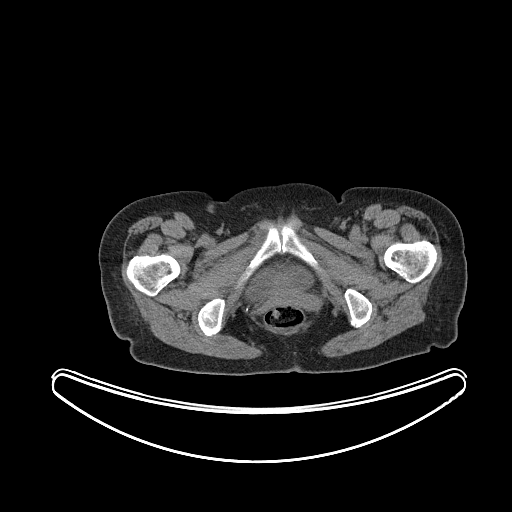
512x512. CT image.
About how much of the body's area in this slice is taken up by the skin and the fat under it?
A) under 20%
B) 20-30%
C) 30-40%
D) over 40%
D) over 40%
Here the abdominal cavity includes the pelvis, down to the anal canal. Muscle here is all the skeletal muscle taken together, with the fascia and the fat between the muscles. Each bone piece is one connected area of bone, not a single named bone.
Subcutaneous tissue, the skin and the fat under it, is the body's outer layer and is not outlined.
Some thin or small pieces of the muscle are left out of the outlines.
The bones appear in 5 outlined pieces: piece 1: 289,221 291,222 292,226 300,240 311,252 312,255 317,261 321,270 316,271 303,260 290,253 276,253 265,260 241,285 238,286 237,285 237,280 249,264 250,260 265,239 269,226 272,224 279,229 283,224; piece 2: 419,240 427,240 432,243 435,247 437,253 437,258 433,266 433,268 428,275 418,282 411,283 408,282 402,277 398,275 394,271 387,267 384,262 383,255 386,249 393,243 396,242 410,243; piece 3: 164,253 172,256 178,262 180,266 180,272 176,278 172,280 167,285 161,289 156,295 154,296 146,295 136,289 128,279 126,274 126,268 128,262 129,260 135,255 144,255 147,254 153,256 154,255 158,255; piece 4: 214,298 222,298 225,300 225,306 224,307 224,311 223,312 223,316 222,317 222,327 217,333 213,335 208,336 207,335 205,335 200,328 198,324 198,321 197,320 197,315 198,314 198,312 200,308 206,302; piece 5: 347,288 353,288 363,294 370,301 372,305 372,311 371,312 371,314 370,315 369,319 360,327 353,327 350,325 350,322 349,321 350,320 349,310 348,309 348,307 347,306 347,304 344,297 344,292. The torso is outlined by 287,182 315,184 337,197 355,186 409,188 444,203 462,229 467,261 456,340 349,372 214,375 136,361 129,343 112,329 101,290 98,248 109,220 128,203 150,195 200,190 224,201 246,188. The muscle is outlined by 382,202 407,205 429,216 438,233 443,263 428,291 423,308 425,320 368,349 335,357 317,352 346,327 345,315 340,311 334,316 334,306 327,301 306,331 294,336 266,332 239,307 223,331 262,346 265,351 258,357 226,359 187,352 153,335 121,277 128,228 149,215 183,212 218,242 246,231 260,220 291,215 346,237 355,224 361,224 368,205 with holes at 289,221 291,222 300,240 311,252 321,269 315,273 321,285 322,297 310,318 300,328 294,331 279,331 264,326 250,313 241,296 246,282 245,281 238,286 237,280 265,239 269,226 272,224 279,229 283,224 and at 419,240 427,240 432,243 435,247 437,253 437,258 433,266 433,268 428,275 418,282 411,283 408,282 402,277 398,275 394,271 387,267 384,262 383,255 386,249 393,243 396,242 410,243 and at 164,253 172,256 178,262 180,266 180,272 176,278 172,280 167,285 161,289 156,295 154,296 146,295 136,289 128,279 126,274 126,268 128,262 129,260 135,255 144,255 147,254 153,256 154,255 158,255 and at 214,298 222,298 225,300 225,306 224,307 224,311 223,312 223,316 222,317 222,327 217,333 213,335 208,336 207,335 205,335 200,328 198,324 198,321 197,320 197,315 198,314 198,312 200,308 206,302 and at 347,288 353,288 363,294 370,301 372,305 372,311 371,312 371,314 370,315 369,319 360,327 353,327 350,325 350,322 349,321 350,320 349,310 348,309 348,307 347,306 347,304 344,297 344,292. The abdominal cavity is outlined by 276,254 290,254 303,261 315,271 315,273 321,285 321,296 322,297 314,312 310,318 300,328 294,331 279,331 278,330 264,326 251,313 250,313 243,300 243,298 241,296 244,290 247,280 265,261 268,260.